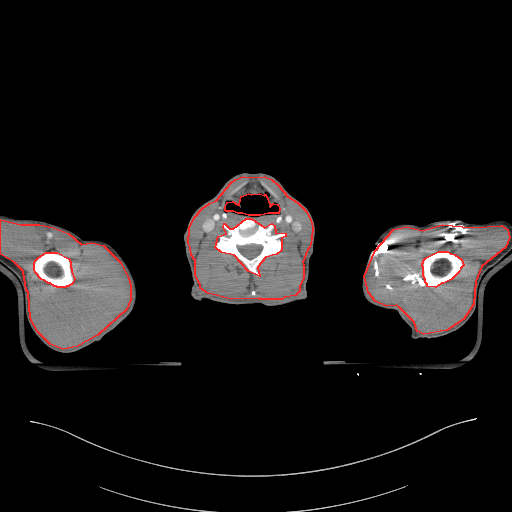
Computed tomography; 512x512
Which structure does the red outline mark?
red: muscle.
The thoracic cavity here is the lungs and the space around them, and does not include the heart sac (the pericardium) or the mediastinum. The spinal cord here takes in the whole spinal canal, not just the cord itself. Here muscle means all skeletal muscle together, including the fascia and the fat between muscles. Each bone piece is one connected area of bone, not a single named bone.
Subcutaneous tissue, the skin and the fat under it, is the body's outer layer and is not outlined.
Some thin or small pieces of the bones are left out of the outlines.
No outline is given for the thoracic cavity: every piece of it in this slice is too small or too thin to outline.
muscle 1: 0 219; 20 224; 39 224; 53 227; 68 233; 81 244; 91 242; 103 245; 120 262; 128 278; 130 285; 130 299; 126 309; 97 335; 77 346; 62 349; 50 344; 38 332; 30 318; 28 292; 26 290; 23 271; 14 262; 0 254; inner edge: 46 252; 57 252; 68 258; 70 261; 70 267; 71 268; 71 271; 74 279; 72 283; 68 286; 66 286; 65 287; 57 287; 56 286; 54 286; 50 283; 48 283; 44 280; 41 279; 35 272; 34 270; 34 262; 35 260; 38 257
muscle 2: 442 224; 472 227; 501 225; 507 229; 509 237; 505 247; 481 266; 475 281; 473 304; 463 319; 446 330; 423 334; 417 331; 414 322; 399 307; 396 305; 386 306; 375 301; 368 292; 364 276; 375 250; 393 229; 406 226; 422 230; inner edge: 438 251; 447 251; 450 253; 454 254; 461 259; 463 265; 460 268; 458 272; 451 279; 443 283; 441 283; 435 287; 427 286; 427 284; 425 282; 425 279; 423 276; 423 267; 422 266; 422 263; 423 262; 423 260; 426 257
muscle 3: 243 176; 249 177; 264 176; 271 179; 278 185; 287 196; 297 202; 305 210; 310 219; 312 227; 311 239; 309 247; 307 249; 302 262; 303 264; 303 277; 299 286; 299 291; 295 295; 284 297; 281 299; 260 299; 259 298; 231 299; 208 293; 200 288; 200 284; 195 275; 195 260; 191 255; 190 247; 188 243; 189 228; 194 217; 202 208; 209 203; 216 200; 231 182; 235 179, around holes outlined by 246 218; 251 218; 264 227; 271 223; 274 225; 275 232; 285 233; 285 236; 281 238; 281 250; 276 254; 265 257; 257 267; 259 276; 248 271; 234 255; 221 252; 215 247; 218 236; 226 233; 223 227; 224 223; 229 228; 233 228 and by 248 193; 251 194; 259 193; 264 195; 265 194; 270 206; 273 203; 277 204; 279 208; 278 213; 268 213; 260 215; 248 215; 242 213; 237 213; 233 211; 226 211; 225 210; 225 206; 227 202; 232 201; 237 204; 239 204; 241 196
right arm: 1 214; 14 218; 43 220; 66 228; 83 239; 101 240; 111 245; 127 264; 135 282; 136 300; 135 305; 129 315; 98 341; 93 342; 77 351; 62 353; 52 350; 46 346; 36 336; 29 323; 25 320; 23 284; 14 272; 0 263
head and neck: 242 172; 262 172; 275 177; 288 192; 306 206; 312 216; 315 236; 313 252; 309 260; 307 296; 303 300; 283 307; 267 309; 261 303; 227 304; 208 299; 198 301; 190 294; 193 282; 183 240; 188 221; 193 212; 211 198; 229 178 with a hole at 248 193; 251 194; 259 193; 264 195; 265 194; 270 206; 273 203; 277 204; 279 208; 278 213; 268 213; 260 215; 248 215; 242 213; 237 213; 233 211; 226 211; 225 210; 225 206; 227 202; 232 201; 237 204; 239 204; 241 196
left arm: 446 219; 466 222; 506 220; 511 223; 511 248; 481 278; 477 289; 475 311; 459 329; 435 338; 415 339; 411 336; 409 326; 395 310; 378 307; 364 297; 361 287; 362 274; 369 254; 378 248; 376 239; 388 227; 398 223; 422 226
bones 1: 246 218; 251 218; 264 227; 271 223; 274 225; 275 232; 285 233; 285 236; 281 238; 281 250; 276 254; 265 257; 257 267; 259 276; 248 271; 234 255; 221 252; 215 247; 218 236; 226 233; 223 227; 224 223; 229 228; 233 228 with a hole at 248 244; 259 244; 262 246; 262 248; 261 249; 261 251; 256 256; 255 256; 253 258; 251 258; 250 259; 249 259; 248 258; 247 258; 245 256; 244 256; 239 251; 239 250; 238 249; 238 246; 243 246; 244 245; 247 245
bones 2: 46 252; 57 252; 68 258; 70 261; 70 267; 71 268; 71 271; 74 279; 72 283; 68 286; 66 286; 65 287; 57 287; 56 286; 54 286; 50 283; 48 283; 44 280; 41 279; 35 272; 34 270; 34 262; 35 260; 38 257
bones 3: 438 251; 447 251; 450 253; 454 254; 461 259; 463 265; 460 268; 458 272; 451 279; 443 283; 441 283; 435 287; 427 286; 427 284; 425 282; 425 279; 423 276; 423 267; 422 266; 422 263; 423 262; 423 260; 426 257
spinal cord: 248 244; 259 244; 262 246; 262 248; 261 249; 261 251; 256 256; 255 256; 253 258; 251 258; 250 259; 249 259; 248 258; 247 258; 245 256; 244 256; 239 251; 239 250; 238 249; 238 246; 243 246; 244 245; 247 245